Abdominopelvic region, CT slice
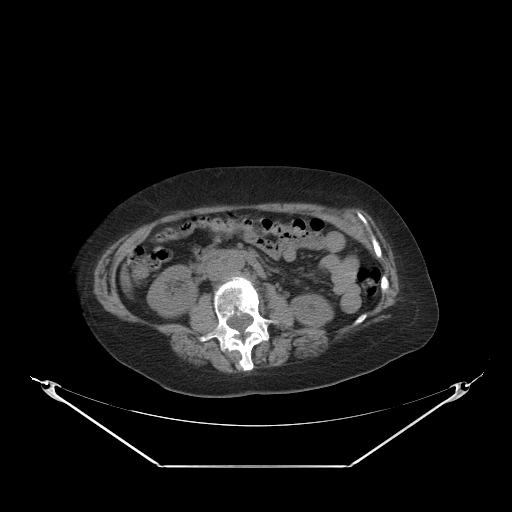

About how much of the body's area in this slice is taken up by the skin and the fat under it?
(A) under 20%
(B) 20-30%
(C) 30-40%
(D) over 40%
Answer: (D) over 40%
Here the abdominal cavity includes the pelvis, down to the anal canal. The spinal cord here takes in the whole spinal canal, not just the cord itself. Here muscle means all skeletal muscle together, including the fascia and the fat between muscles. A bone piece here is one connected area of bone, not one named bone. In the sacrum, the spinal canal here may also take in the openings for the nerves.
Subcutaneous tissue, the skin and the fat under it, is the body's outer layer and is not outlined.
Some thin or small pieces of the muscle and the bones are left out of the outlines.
Outlines:
muscle: [[266,202],[306,202],[307,203],[316,203],[328,207],[335,207],[336,208],[342,208],[348,206],[357,206],[364,209],[371,216],[375,222],[382,235],[389,244],[394,256],[394,260],[395,261],[397,275],[398,276],[399,292],[397,294],[397,300],[388,309],[391,314],[391,316],[389,318],[384,319],[375,323],[372,323],[367,327],[365,327],[353,334],[350,334],[348,337],[342,339],[341,341],[331,343],[324,352],[315,357],[310,358],[307,360],[302,360],[298,362],[293,362],[281,366],[272,367],[268,369],[263,369],[260,370],[258,372],[259,373],[257,374],[243,375],[241,373],[240,374],[224,373],[209,365],[208,366],[195,367],[193,365],[185,361],[183,361],[171,349],[168,341],[168,338],[162,333],[145,325],[142,325],[133,322],[128,322],[120,319],[117,316],[105,310],[103,306],[97,300],[93,291],[94,270],[96,267],[96,265],[104,251],[116,240],[126,233],[134,230],[143,224],[151,222],[176,210],[189,209],[190,208],[203,206],[204,205],[214,205],[215,204],[244,204],[245,203],[265,203]]; inner edges: [[241,209],[323,218],[373,255],[387,291],[363,321],[327,331],[294,327],[286,298],[265,283],[259,312],[273,322],[268,340],[251,350],[251,370],[238,350],[199,340],[218,324],[210,292],[191,306],[189,326],[136,315],[116,286],[128,251],[160,224]], then [[357,211],[359,211],[366,219],[373,234],[379,243],[379,245],[381,248],[381,251],[382,252],[382,255],[380,258],[378,258],[375,254],[375,252],[373,249],[373,246],[370,239],[369,232],[365,227],[364,224],[357,216],[357,214],[356,213]]
abdominal cavity: [[241,209],[315,215],[360,242],[383,269],[378,303],[333,331],[296,328],[292,308],[271,283],[258,291],[248,278],[236,275],[219,284],[213,295],[201,294],[188,312],[189,326],[152,322],[130,311],[119,296],[116,271],[133,246],[160,224],[191,214]]
spinal cord: [[241,314],[247,314],[252,318],[252,321],[251,323],[249,325],[248,325],[244,329],[243,331],[244,333],[249,333],[249,334],[248,334],[244,337],[240,337],[241,333],[235,328],[231,327],[227,322],[227,321],[232,316],[234,315],[236,316],[240,316]]
torso: [[229,165],[332,170],[357,177],[380,192],[408,226],[425,260],[439,308],[438,324],[430,340],[378,369],[330,386],[210,398],[165,389],[121,364],[90,339],[80,327],[80,310],[72,302],[67,281],[71,261],[82,243],[114,206],[139,189],[188,170]]
bones 1: [[236,276],[242,276],[252,283],[258,292],[260,314],[273,321],[267,328],[268,340],[254,345],[251,350],[254,365],[251,370],[243,370],[240,366],[241,353],[238,350],[222,351],[215,337],[199,340],[200,336],[213,331],[218,324],[213,306],[214,291]] with a hole at [[241,314],[247,314],[252,318],[252,321],[251,323],[249,325],[248,325],[244,329],[243,331],[244,333],[249,333],[249,334],[248,334],[244,337],[240,337],[241,333],[235,328],[231,327],[227,322],[227,321],[232,316],[234,315],[236,316],[240,316]]
bones 2: [[357,211],[359,211],[366,219],[373,234],[379,243],[379,245],[381,248],[381,251],[382,252],[382,255],[380,258],[378,258],[375,254],[375,252],[373,249],[373,246],[370,239],[369,232],[365,227],[364,224],[357,216],[357,214],[356,213]]
bones 3: [[364,313],[366,313],[366,317],[365,318],[365,319],[363,321],[362,321],[360,323],[359,323],[358,324],[357,324],[356,325],[354,325],[353,324],[353,323],[354,322],[354,321],[360,315],[361,315],[362,314],[363,314]]